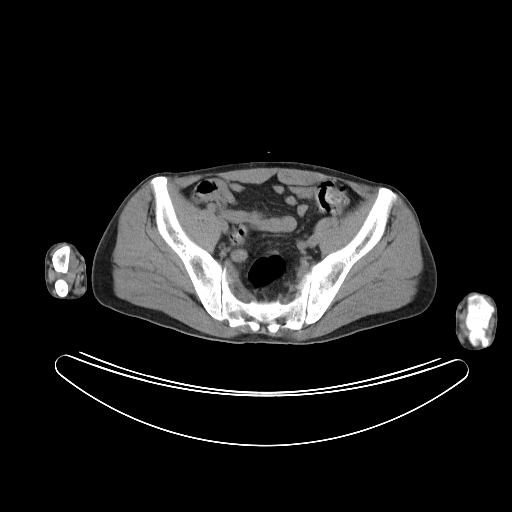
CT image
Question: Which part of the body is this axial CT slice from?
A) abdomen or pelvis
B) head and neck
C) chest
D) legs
Answer: A) abdomen or pelvis
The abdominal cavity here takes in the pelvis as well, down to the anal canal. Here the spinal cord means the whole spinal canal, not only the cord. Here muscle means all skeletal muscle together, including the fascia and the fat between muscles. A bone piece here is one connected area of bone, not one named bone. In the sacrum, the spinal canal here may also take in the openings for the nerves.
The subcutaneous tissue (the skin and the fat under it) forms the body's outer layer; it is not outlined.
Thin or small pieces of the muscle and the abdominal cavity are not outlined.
{"muscle":[[[148,181],[158,233],[181,260],[206,312],[231,328],[247,325],[257,332],[263,326],[275,333],[318,321],[354,264],[384,234],[398,196],[418,228],[423,269],[417,291],[399,308],[301,340],[261,333],[211,335],[133,304],[114,293],[112,253],[119,217]],[[277,167],[316,171],[361,184],[379,187],[360,227],[346,244],[323,256],[314,230],[316,224],[323,218],[343,217],[362,200],[362,197],[346,183],[340,180],[324,178],[311,184],[292,185],[282,181],[276,174],[261,182],[244,182],[226,179],[218,175],[206,175],[182,188],[181,192],[193,206],[200,209],[210,210],[219,218],[221,222],[221,232],[211,252],[188,236],[178,219],[168,190],[167,176],[182,177],[237,169]],[[71,249],[82,266],[81,272],[82,278],[80,282],[79,292],[68,294],[69,293],[68,283],[63,278],[57,278],[53,283],[54,291],[56,293],[55,294],[52,289],[53,285],[50,283],[48,277],[50,260],[53,269],[57,273],[65,274],[69,269]],[[229,277],[237,286],[238,286],[240,288],[243,289],[244,290],[244,291],[247,294],[247,295],[248,296],[249,296],[249,297],[250,298],[248,301],[245,301],[244,300],[237,297],[235,295],[235,294],[233,292],[233,291],[230,286],[230,282],[229,281]],[[292,285],[295,286],[295,287],[296,288],[296,292],[294,295],[294,297],[292,299],[289,300],[287,302],[282,302],[280,300],[280,299],[279,298],[279,296],[282,294],[283,295],[284,294],[285,294],[289,290],[289,289],[291,287],[291,286]],[[59,245],[63,245],[62,245],[61,246],[60,246],[59,247],[58,247],[53,252],[53,253],[52,254],[52,255],[51,256],[51,257],[50,256],[50,254],[51,253],[51,252],[52,251],[52,250],[54,248],[55,248],[57,246],[58,246]]],"torso":[[[244,161],[297,161],[317,164],[384,182],[401,191],[418,215],[436,265],[437,288],[429,307],[415,316],[332,341],[310,345],[280,345],[233,344],[202,339],[124,315],[99,303],[91,286],[91,268],[96,247],[119,204],[140,181],[155,172],[187,171]]],"spinal_cord":[[[247,315],[248,315],[249,316],[250,316],[250,317],[251,318],[251,319],[250,320],[250,321],[249,321],[248,322],[247,322],[246,321],[245,321],[245,320],[244,319],[244,318],[245,317],[245,316],[246,316]],[[281,316],[282,316],[283,317],[284,317],[284,318],[285,319],[285,320],[284,321],[284,322],[283,322],[282,323],[281,323],[280,322],[279,322],[279,321],[278,320],[278,319],[279,318],[279,317],[280,317]],[[260,323],[261,323],[262,323],[263,323],[264,323],[265,323],[266,323],[267,323],[268,324],[267,325],[266,325],[265,326],[264,326],[263,325],[262,325],[261,325],[260,324]]],"bones":[[[156,176],[166,176],[187,236],[226,269],[232,292],[245,302],[292,300],[312,265],[354,237],[380,187],[397,197],[383,234],[353,264],[318,320],[275,332],[260,322],[253,331],[213,318],[201,303],[182,260],[158,231],[150,184]],[[473,294],[482,295],[494,308],[494,310],[489,319],[488,326],[485,330],[485,335],[489,339],[489,343],[484,347],[481,345],[474,346],[470,343],[468,339],[469,330],[467,328],[465,322],[468,311],[467,308],[467,302],[468,301],[467,300],[468,297]],[[64,245],[68,245],[70,247],[70,251],[69,252],[69,262],[68,263],[68,269],[67,270],[67,271],[65,273],[62,273],[61,272],[57,272],[54,269],[54,267],[53,266],[53,264],[52,263],[51,258],[52,257],[54,252],[58,248],[59,248]],[[57,279],[63,279],[67,283],[67,285],[68,286],[68,293],[65,296],[64,296],[63,297],[61,297],[60,296],[59,296],[57,294],[57,293],[55,291],[55,288],[54,287],[54,283],[55,282],[55,281]]],"right_arm":[[[59,241],[68,241],[74,244],[84,257],[85,260],[86,264],[86,276],[87,277],[87,288],[85,293],[81,297],[77,299],[66,300],[65,299],[58,299],[53,297],[48,292],[45,284],[45,280],[44,279],[44,258],[45,254],[47,249],[52,244]]],"abdominal_cavity":[[[275,175],[292,186],[311,185],[324,179],[340,181],[361,200],[343,216],[323,217],[315,224],[313,230],[323,257],[311,265],[296,285],[292,284],[275,299],[250,300],[210,253],[222,232],[220,218],[210,209],[193,205],[182,189],[206,176],[261,183]]],"left_arm":[[[471,291],[479,291],[490,295],[494,299],[497,306],[497,328],[496,329],[496,333],[495,334],[494,340],[490,345],[484,347],[482,349],[479,350],[468,350],[465,349],[462,347],[455,334],[455,311],[456,310],[456,307],[460,300],[467,293]]]}